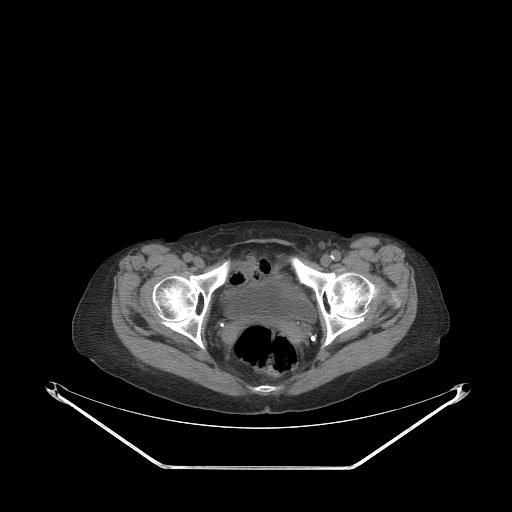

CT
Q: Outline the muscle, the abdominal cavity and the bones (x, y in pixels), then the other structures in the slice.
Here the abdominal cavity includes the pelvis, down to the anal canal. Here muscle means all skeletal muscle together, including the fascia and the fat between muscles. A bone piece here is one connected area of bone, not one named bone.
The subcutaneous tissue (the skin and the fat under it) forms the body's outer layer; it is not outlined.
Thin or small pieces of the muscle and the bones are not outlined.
A: The muscle is outlined by 362 235; 377 235; 392 240; 408 254; 415 271; 418 296; 414 321; 387 357; 309 391; 292 396; 231 396; 217 392; 139 360; 125 347; 113 328; 113 277; 120 258; 131 247; 146 242; 166 243; 205 256; 237 241; 279 238; 321 254 with holes at 252 243; 287 246; 312 268; 356 272; 378 289; 363 321; 321 347; 327 328; 306 285; 318 346; 301 370; 268 383; 283 386; 270 392; 252 391; 260 383; 212 355; 217 288; 201 324; 205 350; 162 324; 151 298; 166 276; 207 272 and at 392 291; 393 291; 395 293; 395 294; 396 295; 396 296; 400 300; 400 305; 397 308; 396 308; 394 306; 394 304; 393 303; 393 302; 392 301; 392 295; 391 294; 391 292. The abdominal cavity is outlined by 252 243; 274 243; 287 246; 291 249; 287 260; 297 280; 305 286; 313 301; 321 330; 318 346; 307 364; 298 372; 273 383; 256 383; 222 365; 212 355; 206 336; 207 325; 218 288; 228 279; 229 272; 234 262; 233 252; 237 247. The bones appear in 3 outlined pieces: piece 1: 290 255; 295 255; 306 265; 322 272; 334 272; 337 275; 349 271; 359 273; 372 282; 378 289; 377 294; 369 304; 369 309; 365 314; 363 321; 339 334; 325 347; 321 346; 325 341; 327 328; 315 293; 310 287; 298 280; 288 260; piece 2: 228 258; 231 259; 232 262; 227 275; 227 279; 211 294; 202 320; 200 335; 205 347; 205 350; 203 350; 188 337; 161 323; 161 319; 157 314; 151 298; 153 287; 157 282; 166 276; 175 274; 187 278; 191 274; 201 274; 219 266; piece 3: 261 384; 267 384; 268 385; 274 385; 275 386; 280 386; 281 385; 283 386; 280 389; 278 390; 276 390; 275 391; 271 391; 270 392; 254 392; 249 388; 248 388; 247 387; 247 385; 249 385; 250 386; 256 386; 257 385; 260 385. The torso is outlined by 252 219; 286 220; 344 235; 359 230; 380 230; 414 246; 432 266; 450 316; 450 328; 440 341; 437 359; 322 408; 240 415; 193 408; 155 396; 106 373; 81 356; 71 340; 71 320; 91 275; 105 258; 144 239; 173 240; 215 224.